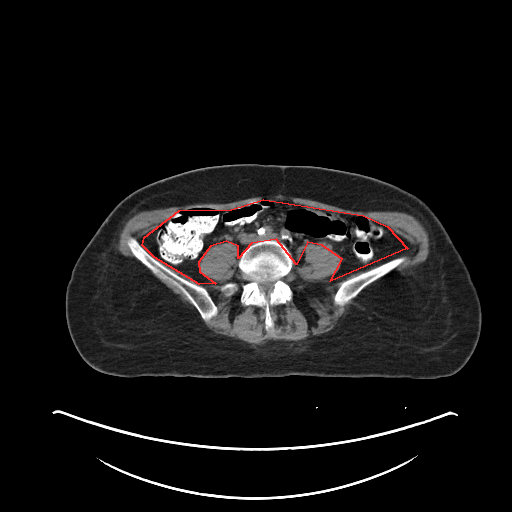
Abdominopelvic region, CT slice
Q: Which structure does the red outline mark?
A: red: abdominal cavity.
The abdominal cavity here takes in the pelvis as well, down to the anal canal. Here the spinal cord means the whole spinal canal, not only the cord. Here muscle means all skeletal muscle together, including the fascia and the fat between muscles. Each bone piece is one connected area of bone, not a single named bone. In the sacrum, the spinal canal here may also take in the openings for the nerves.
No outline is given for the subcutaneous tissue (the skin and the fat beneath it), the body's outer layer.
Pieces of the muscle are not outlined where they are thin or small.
The abdominal cavity is outlined by 263 199; 363 215; 387 226; 407 248; 330 281; 342 259; 322 245; 307 242; 296 264; 276 239; 251 243; 238 258; 238 246; 226 241; 210 246; 198 262; 199 271; 215 283; 199 284; 154 257; 142 245; 144 237; 179 210; 231 209. The muscle appears in 3 outlined pieces: piece 1: 226 242; 237 246; 237 267; 246 281; 241 285; 239 300; 245 306; 263 308; 264 328; 268 332; 274 330; 271 306; 285 304; 293 298; 286 277; 294 264; 303 262; 307 243; 339 255; 339 269; 327 278; 330 282; 344 280; 334 293; 333 303; 343 307; 353 302; 331 327; 303 337; 269 336; 246 342; 214 333; 204 322; 213 318; 218 308; 203 286; 216 283; 200 271; 199 262; 210 247, around a hole outlined by 228 282; 236 282; 237 283; 237 284; 238 285; 238 287; 237 288; 237 289; 232 294; 230 294; 229 295; 227 295; 225 293; 224 293; 221 290; 221 286; 222 285; 223 285; 224 284; 225 284; 226 283; 227 283; piece 2: 261 195; 283 195; 288 197; 311 199; 356 211; 406 212; 414 216; 427 231; 429 239; 428 255; 426 259; 414 267; 411 272; 403 274; 395 271; 389 273; 407 259; 407 256; 404 254; 408 248; 406 242; 387 225; 363 214; 339 213; 309 205; 295 203; 287 199; 263 198; 243 206; 231 208; 215 208; 208 207; 206 205; 202 207; 179 209; 144 236; 141 244; 135 237; 129 236; 126 240; 126 245; 132 255; 156 276; 171 283; 179 289; 195 308; 194 309; 189 303; 182 300; 177 294; 161 282; 143 265; 130 257; 124 256; 119 251; 117 247; 119 234; 125 222; 134 214; 142 210; 172 206; 186 206; 201 203; 229 203; piece 3: 175 272; 179 272; 182 274; 185 274; 186 275; 189 276; 191 278; 192 278; 192 279; 195 282; 192 282; 191 281; 190 281; 189 280; 188 280; 187 279; 186 279; 185 278; 182 277; 180 275; 179 275; 177 273; 176 273. The torso is outlined by 246 163; 312 165; 360 173; 394 184; 424 201; 439 218; 464 260; 480 299; 481 332; 467 363; 453 375; 425 379; 308 375; 124 377; 106 374; 89 366; 77 352; 67 328; 65 292; 78 256; 106 216; 128 194; 154 181; 206 166. The bones appear in 4 outlined pieces: piece 1: 266 239; 283 243; 291 253; 293 259; 292 268; 285 277; 285 281; 292 291; 292 298; 285 303; 270 306; 273 330; 268 331; 265 328; 264 308; 253 304; 245 305; 240 300; 242 285; 247 281; 238 267; 238 261; 242 252; 249 245; inner edge: 265 280; 269 280; 270 281; 273 281; 273 284; 272 285; 272 288; 270 290; 269 290; 268 291; 263 291; 260 288; 260 287; 259 286; 259 282; 260 282; 261 281; 264 281; piece 2: 129 237; 135 238; 154 258; 176 274; 192 283; 195 283; 205 288; 217 308; 217 313; 209 320; 204 321; 196 308; 190 302; 187 297; 179 288; 171 282; 156 275; 148 267; 143 264; 133 255; 132 252; 127 245; 127 240; piece 3: 402 255; 405 255; 406 256; 406 259; 403 262; 385 275; 378 278; 367 285; 362 289; 355 297; 351 299; 343 306; 339 306; 336 305; 334 303; 334 296; 335 293; 343 281; 352 278; 365 271; 375 268; 394 258; 396 258; piece 4: 228 282; 236 282; 237 283; 237 284; 238 285; 238 287; 237 288; 237 289; 232 294; 230 294; 229 295; 227 295; 225 293; 224 293; 221 290; 221 286; 222 285; 223 285; 224 284; 225 284; 226 283; 227 283. The spinal cord is outlined by 265 280; 269 280; 270 281; 273 281; 273 284; 272 285; 272 288; 270 290; 269 290; 268 291; 263 291; 260 288; 260 287; 259 286; 259 282; 260 282; 261 281; 264 281.